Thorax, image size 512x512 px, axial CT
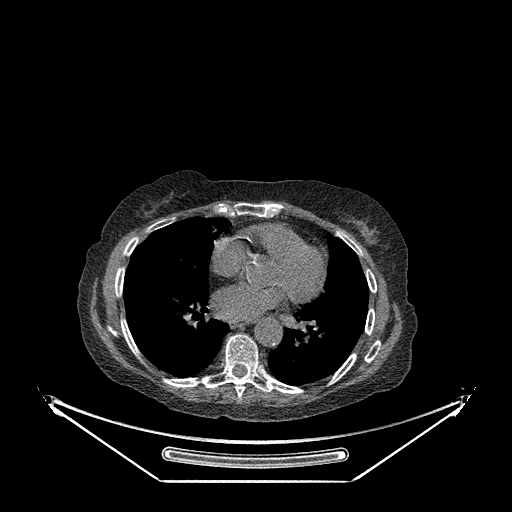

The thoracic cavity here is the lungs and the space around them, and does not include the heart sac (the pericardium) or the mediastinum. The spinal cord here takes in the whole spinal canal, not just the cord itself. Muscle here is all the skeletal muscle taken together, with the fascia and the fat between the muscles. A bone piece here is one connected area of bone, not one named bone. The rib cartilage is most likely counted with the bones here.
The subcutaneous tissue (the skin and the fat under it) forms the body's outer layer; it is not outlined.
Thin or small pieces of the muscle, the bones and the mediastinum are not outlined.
The thoracic cavity appears in 2 outlined pieces: piece 1: [[194,216],[224,217],[230,223],[228,232],[222,233],[213,242],[207,276],[208,301],[213,317],[224,322],[228,329],[223,338],[223,355],[211,371],[200,376],[177,377],[153,365],[138,347],[126,318],[123,300],[124,278],[129,258],[149,234],[178,220]]; piece 2: [[330,235],[342,240],[355,253],[363,270],[369,291],[363,332],[352,351],[331,375],[301,386],[285,383],[274,377],[266,369],[261,360],[265,362],[269,352],[281,343],[284,329],[288,326],[288,320],[293,317],[294,313],[324,290],[330,260],[328,248]]. The muscle appears in 2 outlined pieces: piece 1: [[263,200],[283,200],[338,225],[351,233],[370,254],[386,282],[388,300],[390,303],[396,302],[403,321],[401,334],[381,367],[368,378],[317,400],[284,407],[187,401],[122,367],[111,357],[91,322],[89,303],[92,286],[95,278],[102,279],[110,253],[120,238],[130,230],[159,217],[164,217],[143,229],[145,236],[143,239],[135,234],[125,243],[121,255],[128,261],[126,266],[120,265],[115,271],[114,294],[117,299],[123,301],[125,315],[119,316],[119,325],[128,348],[147,369],[149,368],[147,360],[171,376],[163,375],[160,378],[164,384],[174,388],[203,385],[208,389],[214,389],[229,383],[233,385],[237,400],[240,402],[247,384],[265,393],[275,390],[284,394],[302,394],[305,391],[302,386],[326,378],[325,386],[330,387],[354,365],[358,353],[353,350],[358,340],[363,333],[370,336],[374,329],[376,312],[374,307],[369,305],[369,296],[378,290],[373,271],[368,266],[363,269],[360,262],[365,256],[361,246],[341,228],[335,228],[332,233],[308,219],[280,214],[286,207],[279,201],[259,202]]; inner edges: [[378,339],[381,341],[381,347],[380,348],[380,349],[378,351],[378,353],[377,354],[377,355],[371,361],[371,362],[370,362],[369,363],[367,363],[364,360],[364,357],[365,356],[366,353],[368,351],[369,348],[371,346],[371,345],[376,340],[377,340]], then [[107,325],[110,325],[116,331],[116,332],[117,333],[117,336],[116,337],[115,336],[114,336],[109,331],[108,331],[108,330],[107,329]]; piece 2: [[223,199],[238,200],[233,203],[220,201],[214,204],[212,207],[212,212],[214,214],[212,215],[194,215],[182,219],[178,219],[178,217],[175,214],[172,214],[169,216],[165,216],[177,211],[188,209],[192,207],[205,205],[214,201],[218,201]]. The spinal cord is outlined by [[236,365],[242,365],[243,366],[244,366],[245,367],[245,368],[246,369],[246,373],[244,375],[243,375],[241,377],[238,377],[237,376],[236,376],[233,373],[233,369],[234,368],[234,367]]. The pericardium is outlined by [[258,218],[277,218],[292,220],[306,227],[327,245],[329,260],[323,290],[290,316],[285,318],[264,315],[256,320],[224,319],[218,315],[216,310],[212,307],[211,303],[212,288],[210,286],[209,263],[214,242],[220,236],[227,234],[235,223],[246,219]]. The mediastinum appears in 3 outlined pieces: piece 1: [[212,308],[220,318],[232,321],[256,321],[264,316],[278,319],[285,319],[292,315],[292,317],[287,320],[287,326],[283,329],[280,343],[268,352],[265,361],[260,359],[258,345],[247,333],[235,332],[226,335],[229,329],[228,325],[224,321],[214,317]]; piece 2: [[279,215],[282,215],[283,216],[293,216],[297,218],[301,218],[305,220],[308,220],[311,222],[313,222],[318,226],[323,228],[332,234],[331,235],[330,234],[328,236],[327,244],[320,237],[303,224],[301,224],[299,222],[297,222],[292,219],[273,217]]; piece 3: [[213,215],[223,215],[226,217],[236,217],[237,216],[245,216],[247,215],[248,216],[257,217],[257,218],[246,218],[240,221],[235,222],[230,227],[230,230],[229,231],[230,229],[229,228],[231,224],[230,221],[224,216],[217,216],[216,215]]. The bones appear in 12 outlined pieces: piece 1: [[235,333],[251,337],[257,345],[260,361],[274,378],[299,386],[304,391],[284,393],[273,389],[265,392],[247,383],[239,401],[234,385],[229,382],[214,388],[203,384],[174,387],[164,383],[161,380],[163,376],[200,377],[211,372],[224,355],[226,336]], around a hole outlined by [[236,365],[242,365],[243,366],[244,366],[245,367],[245,368],[246,369],[246,373],[244,375],[243,375],[241,377],[238,377],[237,376],[236,376],[233,373],[233,369],[234,368],[234,367]]; piece 2: [[238,201],[247,201],[253,203],[279,202],[283,204],[285,208],[283,209],[278,215],[272,217],[258,217],[257,216],[248,215],[247,214],[245,215],[237,215],[236,216],[226,216],[223,214],[215,214],[213,212],[213,207],[214,205],[220,202],[233,204]]; piece 3: [[121,315],[125,316],[125,318],[127,322],[127,325],[130,331],[130,333],[137,347],[139,349],[143,356],[146,359],[146,361],[148,365],[148,368],[144,366],[137,359],[137,358],[129,348],[123,336],[123,334],[121,330],[121,326],[120,325],[120,316]]; piece 4: [[353,351],[355,351],[357,353],[357,357],[356,358],[356,360],[354,362],[353,365],[339,380],[338,380],[335,383],[332,384],[330,386],[327,387],[326,386],[326,383],[328,380],[328,378],[330,376],[331,376],[334,373],[334,372],[345,361],[345,360]]; piece 5: [[335,229],[341,229],[342,230],[343,230],[351,238],[352,238],[360,246],[360,247],[361,248],[361,250],[363,252],[363,254],[364,255],[364,256],[361,258],[359,258],[356,254],[356,253],[342,239],[341,239],[339,237],[334,235],[333,234],[333,232]]; piece 6: [[172,215],[175,215],[177,217],[177,220],[176,220],[174,222],[170,224],[168,224],[163,227],[161,227],[156,230],[154,230],[149,233],[146,236],[143,232],[145,228],[146,228],[149,225],[152,224],[154,222],[162,218],[164,218],[165,217],[169,217]]; piece 7: [[120,266],[125,266],[126,267],[125,268],[125,273],[124,274],[124,277],[123,278],[123,289],[122,290],[122,298],[117,298],[116,297],[116,295],[115,294],[115,275],[116,274],[116,271],[117,270],[117,269],[118,268],[118,267],[119,267]]; piece 8: [[135,235],[137,235],[138,236],[139,236],[140,237],[140,238],[142,240],[134,248],[133,251],[131,253],[130,256],[128,258],[125,256],[124,257],[122,255],[122,253],[123,252],[124,247],[125,246],[126,243],[128,241],[128,240],[131,237],[132,237]]; piece 9: [[369,306],[372,306],[374,309],[374,311],[375,312],[375,319],[374,320],[374,325],[373,326],[373,329],[372,330],[370,335],[367,335],[364,333],[364,328],[365,327],[365,323],[366,322],[366,318],[367,317],[367,313],[368,312],[368,308],[369,307]]; piece 10: [[378,339],[381,341],[381,347],[380,348],[380,349],[378,351],[378,353],[377,354],[377,355],[371,361],[371,362],[370,362],[369,363],[367,363],[364,360],[364,357],[365,356],[366,353],[368,351],[369,348],[371,346],[371,345],[376,340],[377,340]]; piece 11: [[366,267],[368,267],[372,271],[372,272],[375,277],[375,279],[376,280],[376,283],[377,284],[377,290],[375,293],[371,293],[369,290],[369,287],[368,286],[368,283],[367,282],[367,280],[366,279],[366,277],[365,276],[365,274],[364,273],[364,269]]; piece 12: [[107,325],[110,325],[116,331],[116,332],[117,333],[117,336],[116,337],[115,336],[114,336],[109,331],[108,331],[108,330],[107,329]]. The torso is outlined by [[183,169],[198,171],[212,180],[320,180],[359,190],[378,201],[397,224],[407,245],[407,298],[418,319],[412,365],[402,383],[315,416],[250,422],[174,411],[108,378],[86,350],[80,333],[76,299],[86,252],[100,239],[105,221],[124,197],[141,185]].